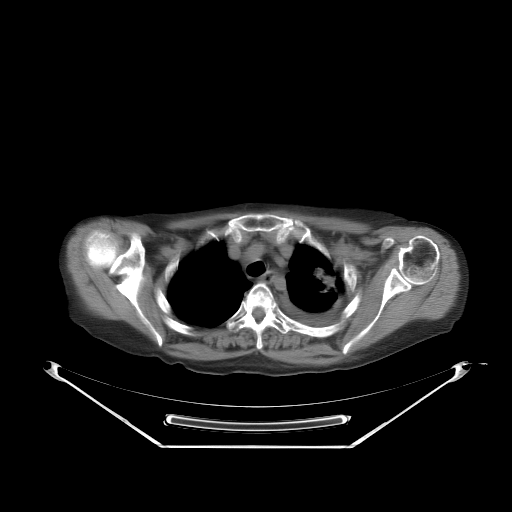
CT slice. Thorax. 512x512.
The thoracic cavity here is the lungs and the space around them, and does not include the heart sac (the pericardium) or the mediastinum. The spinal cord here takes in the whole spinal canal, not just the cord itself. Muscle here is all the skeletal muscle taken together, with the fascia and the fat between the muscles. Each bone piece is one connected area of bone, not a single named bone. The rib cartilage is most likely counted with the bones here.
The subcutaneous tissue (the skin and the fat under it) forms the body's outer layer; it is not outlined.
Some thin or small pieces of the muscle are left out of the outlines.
{"mediastinum":[[[254,232],[274,232],[277,244],[285,241],[290,235],[296,238],[298,243],[289,260],[289,271],[285,276],[285,293],[274,295],[263,281],[253,284],[246,278],[239,264],[228,256],[226,246],[221,240],[222,237],[230,236],[236,243],[240,243],[244,233]]],"left_arm":[[[394,213],[411,220],[424,221],[440,227],[451,234],[461,245],[468,260],[468,263],[470,268],[470,291],[469,292],[469,298],[468,299],[467,308],[465,314],[456,323],[446,315],[423,293],[398,274],[393,252],[392,251],[392,247],[393,246]]],"spinal_cord":[[[257,307],[259,307],[260,308],[261,308],[263,310],[263,311],[264,312],[264,315],[263,316],[263,317],[259,321],[257,321],[256,320],[256,319],[253,316],[253,315],[252,314],[252,312],[253,311],[253,310],[255,308],[256,308]]],"muscle":[{"outer":[[272,209],[347,218],[368,223],[374,228],[389,225],[428,227],[446,238],[456,253],[461,275],[460,290],[455,305],[445,316],[434,320],[409,322],[379,341],[357,351],[354,354],[355,357],[347,361],[325,366],[303,366],[273,360],[260,353],[219,360],[192,360],[171,356],[124,321],[105,319],[86,311],[66,271],[66,244],[75,228],[90,220],[100,217],[131,219],[152,228],[159,228],[164,222],[174,219],[211,213]],"holes":[[[247,213],[298,219],[325,246],[335,268],[354,266],[355,287],[343,298],[361,297],[341,329],[315,337],[268,326],[258,349],[248,327],[233,332],[223,322],[193,325],[187,335],[164,322],[155,291],[167,293],[170,260],[201,247],[206,229]],[[95,229],[109,232],[117,241],[120,253],[129,247],[131,232],[140,236],[145,249],[145,263],[137,301],[143,314],[161,336],[160,347],[133,305],[116,288],[115,285],[121,281],[122,276],[109,274],[107,267],[94,268],[88,264],[84,254],[84,240]],[[415,235],[424,235],[437,245],[439,260],[436,274],[430,281],[418,285],[413,284],[409,290],[400,292],[390,298],[371,328],[344,354],[342,352],[343,346],[376,315],[381,304],[385,279],[390,270],[398,266],[399,248],[406,247],[409,240]],[[387,237],[391,237],[393,239],[393,240],[394,241],[394,242],[390,246],[389,246],[388,247],[387,247],[386,248],[383,248],[382,247],[382,243],[383,242],[383,241],[384,240],[384,239],[385,238],[386,238]]]},[[172,311],[173,311],[173,312],[176,315],[176,316],[181,321],[180,321],[179,320],[178,320],[177,319],[175,319],[174,318],[173,318],[171,316],[170,316],[169,315],[172,312]]],"bones":[[[95,229],[109,232],[117,241],[120,253],[129,247],[131,232],[140,236],[145,249],[145,263],[137,301],[143,314],[161,336],[160,347],[133,305],[116,288],[115,285],[121,281],[122,276],[109,274],[107,267],[94,268],[88,264],[84,254],[84,240]],{"outer":[[258,282],[266,284],[286,315],[313,327],[339,322],[345,306],[357,293],[361,297],[354,312],[342,321],[341,329],[335,333],[315,337],[291,330],[281,333],[268,326],[261,333],[262,347],[258,349],[256,334],[252,329],[243,327],[233,332],[224,323]],"hole":[[257,307],[259,307],[260,308],[261,308],[263,310],[263,311],[264,312],[264,315],[263,316],[263,317],[259,321],[257,321],[256,320],[256,319],[253,316],[253,315],[252,314],[252,312],[253,311],[253,310],[255,308],[256,308]]},[[415,235],[424,235],[437,245],[439,260],[436,274],[430,281],[418,285],[413,284],[409,290],[400,292],[390,298],[371,328],[344,354],[342,352],[343,346],[376,315],[381,304],[385,279],[390,270],[398,266],[399,248],[406,247],[409,240]],[[247,213],[271,213],[300,220],[325,246],[331,258],[327,258],[305,243],[299,243],[293,234],[277,243],[274,231],[244,231],[240,242],[236,242],[228,235],[222,236],[218,241],[213,239],[202,245],[207,238],[206,229],[220,229],[230,219]],[[157,288],[160,288],[166,296],[166,298],[171,306],[172,310],[168,315],[175,320],[185,323],[188,325],[191,325],[193,327],[192,331],[193,334],[192,335],[187,335],[180,333],[170,328],[164,322],[163,319],[166,314],[159,307],[155,297],[155,291]],[[344,262],[346,262],[347,263],[352,264],[355,268],[355,272],[356,273],[356,284],[355,285],[355,287],[354,289],[352,291],[347,291],[346,290],[345,288],[345,285],[343,281],[343,278],[342,277],[342,272],[343,271],[343,264]],[[177,254],[178,254],[179,255],[179,259],[180,260],[179,261],[179,263],[178,264],[178,266],[177,267],[177,269],[175,271],[174,274],[170,279],[169,282],[167,282],[165,279],[165,268],[166,267],[166,266],[168,264],[168,263],[170,261],[170,260]],[[387,237],[391,237],[393,239],[393,240],[394,241],[394,242],[390,246],[389,246],[388,247],[387,247],[386,248],[383,248],[382,247],[382,243],[383,242],[383,241],[384,240],[384,239],[385,238],[386,238]]],"thoracic_cavity":[[[213,240],[217,242],[219,241],[223,242],[227,256],[238,264],[245,278],[252,285],[244,294],[236,310],[223,322],[210,327],[188,324],[183,322],[172,309],[172,306],[166,295],[168,290],[168,285],[178,269],[180,261],[191,252],[197,250],[200,247]],[[298,244],[305,244],[315,249],[327,259],[331,260],[334,267],[341,271],[341,277],[345,289],[343,298],[347,303],[340,312],[341,319],[339,321],[322,326],[313,326],[292,318],[279,306],[275,296],[285,294],[287,292],[286,276],[290,271],[289,263]]],"torso":[[[248,201],[357,204],[392,212],[391,251],[397,274],[447,316],[455,324],[454,327],[447,333],[363,366],[286,376],[198,373],[177,363],[166,364],[156,357],[126,353],[92,337],[70,321],[65,300],[102,280],[121,258],[129,240],[128,214],[187,211]]],"right_arm":[[[107,212],[115,214],[121,214],[122,215],[123,214],[127,214],[128,240],[124,248],[122,255],[102,279],[65,299],[62,281],[60,277],[60,274],[58,271],[58,266],[57,265],[58,250],[62,237],[70,226],[77,220],[86,216],[106,213]]]}